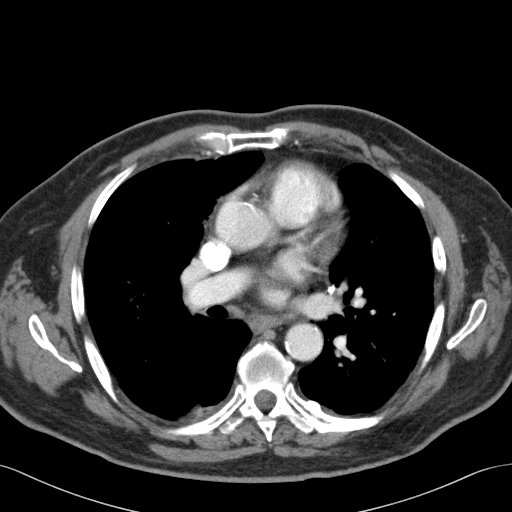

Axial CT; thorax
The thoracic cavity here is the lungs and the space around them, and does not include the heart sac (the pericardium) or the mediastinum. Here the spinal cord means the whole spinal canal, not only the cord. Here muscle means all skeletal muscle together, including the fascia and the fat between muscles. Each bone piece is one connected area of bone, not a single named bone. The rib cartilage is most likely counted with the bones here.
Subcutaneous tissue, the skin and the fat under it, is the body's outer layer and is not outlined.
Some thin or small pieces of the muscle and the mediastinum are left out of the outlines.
Outlines:
spinal cord: 261,390 267,390 268,391 271,392 274,395 274,396 275,397 275,402 274,403 273,406 270,409 269,409 268,410 263,410 262,409 259,408 257,406 257,405 255,402 255,396 258,393 258,392 259,392
bones 1: 262,341 273,344 293,363 289,380 296,392 319,403 324,412 359,417 386,411 385,417 364,429 305,433 281,416 270,443 252,417 245,418 228,434 217,428 211,434 165,432 217,411 240,381 236,373 239,358, around a hole outlined by 261,390 267,390 268,391 271,392 274,395 274,396 275,397 275,402 274,403 273,406 270,409 269,409 268,410 263,410 262,409 259,408 257,406 257,405 255,402 255,396 258,393 258,392 259,392
bones 2: 275,127 290,127 291,131 289,139 285,143 274,148 264,148 263,147 246,148 230,154 221,155 214,153 210,156 207,156 202,152 206,147 195,141 194,139 196,134 204,131 218,131 227,134 232,132 269,131
bones 3: 84,335 89,336 94,341 98,349 98,351 111,376 114,389 116,393 116,396 122,406 119,406 114,402 103,388 96,375 94,373 93,369 88,360 88,357 86,354 86,351 84,347 84,340 83,339
bones 4: 440,301 443,301 445,306 445,312 444,313 444,318 443,319 441,333 435,349 430,359 426,364 425,367 419,372 419,366 420,365 421,358 423,355 423,349 426,339 426,335 429,328 429,325 435,307
bones 5: 33,313 35,313 38,316 45,329 46,334 49,340 56,348 59,354 68,360 73,360 77,362 82,368 81,372 77,372 73,370 67,364 60,361 55,357 50,351 47,349 42,348 34,340 28,327 29,317
bones 6: 133,163 136,163 137,165 132,172 131,175 124,181 123,181 110,195 105,202 99,214 97,216 92,227 91,228 89,228 87,223 88,222 88,218 91,211 91,208 97,196 101,190 117,173 123,170 126,167
bones 7: 478,298 483,298 485,299 487,303 487,307 486,308 486,310 485,311 485,313 482,320 480,323 458,344 449,350 447,349 446,348 446,343 448,339 465,323 468,318 469,312 472,306 472,304 474,301
bones 8: 73,265 77,265 79,267 82,273 82,281 83,282 83,296 84,297 85,315 80,323 77,323 76,322 76,320 74,316 74,313 73,312 73,309 72,308 72,304 71,303 70,278 71,277 71,270 72,269
bones 9: 388,169 391,169 395,172 396,172 401,177 402,177 407,182 408,182 417,191 417,192 420,195 420,196 424,203 424,208 423,209 419,209 419,208 414,204 414,203 388,176 388,175 387,174 387,170
bones 10: 436,234 437,234 440,237 441,241 443,244 443,247 445,252 446,268 445,269 445,273 444,274 441,274 439,272 436,271 434,267 434,262 433,261 433,257 432,256 432,248 431,247 431,242 433,237
mediastinum 1: 207,219 198,255 208,271 270,308 284,307 325,275 329,266 333,300 325,318 317,324 323,347 296,375 294,363 269,341 257,341 243,352 252,337 243,321 227,318 225,313 214,315 213,307 206,311 192,260
mediastinum 2: 288,143 299,145 302,148 308,148 317,151 338,154 353,162 348,164 339,172 337,181 313,163 295,156 284,156 277,158 256,173 254,173 257,168 261,165 264,156 260,151 255,149 242,150 257,148 274,149
pericardium: 284,157 295,157 307,161 337,182 348,219 347,234 325,274 306,287 299,295 284,306 270,307 231,283 221,280 221,277 218,276 217,273 210,272 199,255 200,247 206,234 206,223 217,199 242,184 273,161
torso: 304,103 350,105 383,115 483,176 511,206 511,383 504,393 485,410 450,428 407,457 337,477 283,483 224,483 141,471 112,463 32,429 10,415 0,405 0,217 3,213 78,153 140,121 187,109 260,112
muscle: 289,120 305,120 329,126 343,128 349,130 381,147 395,158 413,176 423,182 436,194 439,195 442,201 456,209 471,221 479,225 489,234 498,247 511,277 511,303 508,307 508,310 505,316 503,330 501,335 495,348 488,356 462,368 449,379 428,402 416,410 413,414 405,416 389,425 371,432 357,440 347,448 333,454 315,455 308,456 304,458 285,458 282,456 276,455 271,451 265,451 239,458 227,459 215,462 179,462 171,460 167,457 161,457 151,451 134,436 125,431 123,428 104,421 90,411 81,407 78,407 71,403 49,396 43,392 33,388 26,383 24,383 2,364 0,359 0,289 3,285 4,279 8,273 12,263 26,251 34,247 42,245 50,241 56,236 60,228 88,193 94,184 98,175 106,167 118,161 124,155 131,151 145,145 163,135 180,128 191,126 198,123 230,124 242,129 261,130 270,124; inner edges: 275,127 291,128 286,144 387,177 391,169 417,191 429,239 437,234 445,252 445,273 433,277 440,336 425,367 422,351 370,414 386,411 374,426 305,433 281,416 270,443 252,417 228,434 167,433 189,420 152,416 115,384 119,406 88,360 83,337 95,339 86,315 76,322 70,278 73,265 84,269 91,208 129,165 133,175 203,151 198,133, then 33,313 35,313 38,316 45,329 46,334 49,340 56,348 59,354 68,360 73,360 77,362 82,368 81,372 77,372 73,370 67,364 60,361 55,357 50,351 47,349 42,348 34,340 28,327 29,317, then 478,298 483,298 485,299 487,303 487,307 486,308 486,310 485,311 485,313 482,320 480,323 458,344 449,350 447,349 446,348 446,343 448,339 465,323 468,318 469,312 472,306 472,304 474,301
thoracic cavity 1: 251,150 263,156 260,165 215,198 191,260 205,311 213,308 214,316 240,320 251,333 236,363 239,381 210,415 166,421 142,410 114,384 95,342 83,281 91,230 108,199 132,175 186,152 216,160
thoracic cavity 2: 354,162 365,163 388,177 418,208 430,240 435,271 434,309 414,367 385,403 359,416 324,411 316,400 301,396 290,380 324,347 324,334 318,324 326,318 334,300 330,265 346,240 350,220 338,180 340,172